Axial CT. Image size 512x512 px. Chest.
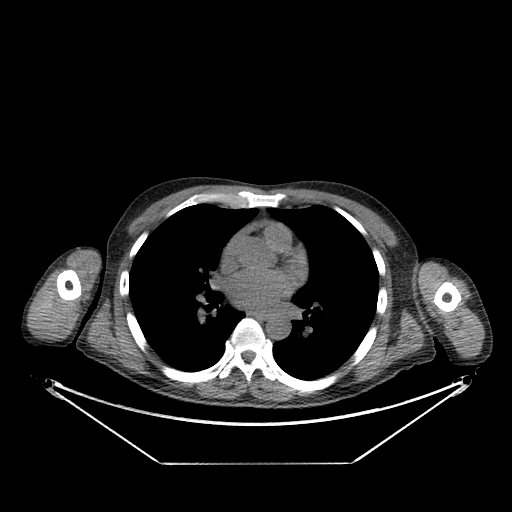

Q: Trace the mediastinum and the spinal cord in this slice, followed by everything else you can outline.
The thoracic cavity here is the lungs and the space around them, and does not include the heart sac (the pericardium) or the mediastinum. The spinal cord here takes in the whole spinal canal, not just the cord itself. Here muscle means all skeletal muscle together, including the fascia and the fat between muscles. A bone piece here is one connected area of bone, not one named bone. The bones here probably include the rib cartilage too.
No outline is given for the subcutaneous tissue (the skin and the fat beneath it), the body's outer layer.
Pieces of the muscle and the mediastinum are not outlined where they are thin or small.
A: The mediastinum appears in 2 outlined pieces: piece 1: 217,267 215,278 219,287 225,295 240,308 255,311 271,310 287,305 291,298 296,307 291,314 291,330 289,334 285,338 273,343 266,336 263,328 254,318 245,316 243,311 225,303 224,294 214,286 214,272; piece 2: 258,207 269,207 267,209 267,210 269,214 273,218 275,219 273,218 270,218 266,216 263,216 257,219 255,219 253,221 248,223 258,213 258,209 257,208. The spinal cord is outlined by 248,350 249,350 250,351 252,351 255,354 255,355 254,356 254,357 253,358 253,359 251,361 250,361 249,362 247,362 246,361 245,361 243,359 243,358 242,357 242,353 243,352 244,352 245,351 247,351. The pericardium is outlined by 263,217 277,220 285,224 303,243 308,259 308,277 305,283 291,296 287,304 281,307 274,307 271,309 264,310 246,309 234,303 226,295 218,283 216,278 216,272 218,270 222,251 232,236 248,224. The muscle appears in 3 outlined pieces: piece 1: 198,185 237,185 238,186 247,186 248,187 257,188 265,191 272,189 279,189 280,188 312,189 313,190 324,191 343,196 353,200 375,212 394,231 398,238 398,243 391,247 387,246 385,252 391,273 392,295 393,296 393,301 392,302 393,316 392,317 397,321 400,317 401,311 404,308 406,308 418,321 419,325 424,331 425,333 425,345 414,353 409,354 406,357 398,359 395,362 384,368 379,374 375,375 370,379 355,384 351,384 345,387 334,387 333,389 326,390 320,394 314,394 309,396 297,396 285,401 260,400 252,396 249,393 244,393 238,397 232,399 203,397 194,391 172,387 157,378 153,378 141,373 137,373 133,370 121,365 118,361 110,355 105,354 92,348 86,340 88,329 91,322 105,299 109,298 111,302 113,300 114,284 117,274 117,270 124,253 133,240 132,236 129,234 127,229 129,224 154,202 177,191, around a hole outlined by 241,190 285,193 287,197 279,205 287,208 337,206 362,225 367,232 363,237 366,243 371,250 376,248 383,259 385,274 378,276 378,287 385,287 387,304 383,314 375,313 371,321 370,325 377,327 375,338 355,365 349,367 348,358 332,372 340,376 326,388 294,390 266,378 260,369 253,371 248,383 235,366 224,378 216,376 196,383 174,380 162,373 161,365 167,364 154,349 150,345 146,352 142,351 130,331 126,313 133,313 133,306 129,295 120,294 119,281 121,272 132,267 134,258 129,253 136,239 144,231 150,234 166,219 168,211 194,194; piece 2: 79,249 93,250 98,254 100,259 99,271 90,291 90,297 85,302 84,308 79,314 75,327 66,338 59,341 42,340 36,338 30,333 26,325 27,314 30,304 48,276 56,268 63,265 66,258 72,252 with a hole at 65,269 72,269 76,272 79,278 79,281 80,282 80,285 81,286 81,293 80,295 78,297 74,299 72,299 71,300 65,300 61,297 60,297 58,293 58,291 57,290 57,276 60,272 61,272; piece 3: 428,261 437,262 445,266 452,275 464,280 468,285 483,319 482,324 485,331 485,337 479,354 470,358 460,357 446,336 436,327 433,320 428,315 426,307 420,296 418,284 418,268 423,263; inner edge: 445,281 450,281 457,288 461,296 461,299 459,301 457,306 453,310 451,311 449,311 448,312 446,312 445,311 443,311 441,310 434,303 433,301 433,299 434,298 434,294 437,288 443,282. The bones appear in 11 outlined pieces: piece 1: 244,317 260,325 272,342 274,360 291,376 302,380 333,373 340,376 330,386 312,392 270,380 260,369 253,371 248,383 235,366 224,378 216,376 196,383 165,376 160,369 163,364 193,372 216,363 226,340, around a hole outlined by 248,350 249,350 250,351 252,351 255,354 255,355 254,356 254,357 253,358 253,359 251,361 250,361 249,362 247,362 246,361 245,361 243,359 243,358 242,357 242,353 243,352 244,352 245,351 247,351; piece 2: 241,190 250,191 256,194 268,195 276,193 285,193 287,197 282,200 279,206 277,207 258,206 248,208 246,207 232,208 219,202 201,202 184,207 167,218 165,218 165,215 168,211 194,194 203,192 236,193; piece 3: 65,269 72,269 76,272 79,278 79,281 80,282 80,285 81,286 81,293 80,295 78,297 74,299 72,299 71,300 65,300 61,297 60,297 58,293 58,291 57,290 57,276 60,272 61,272; piece 4: 445,281 450,281 457,288 461,296 461,299 459,301 457,306 453,310 451,311 449,311 448,312 446,312 445,311 443,311 441,310 434,303 433,301 433,299 434,298 434,294 437,288 443,282; piece 5: 372,325 376,326 377,327 377,330 376,331 375,338 370,348 365,354 365,355 355,365 351,367 349,367 350,366 350,363 351,362 349,358 356,350 356,349 360,344 361,341 365,336 366,333 368,331 369,328; piece 6: 128,311 130,311 134,314 136,318 136,320 141,329 141,331 147,343 149,345 149,346 146,349 146,352 144,352 141,350 141,349 136,343 130,331 130,329 127,323 127,319 126,318 126,313; piece 7: 333,206 337,206 343,209 345,211 349,213 352,216 353,216 362,225 364,229 367,232 367,235 366,236 364,236 362,235 362,234 345,217 344,217 340,213 336,211 333,208; piece 8: 382,286 384,286 386,290 386,293 387,294 387,304 386,305 386,307 385,308 385,310 383,314 381,315 380,314 378,314 376,313 376,307 377,306 377,298 378,297 378,292 379,291 379,288; piece 9: 124,269 127,269 129,271 129,280 128,281 128,289 129,290 129,291 128,292 128,295 127,295 126,296 122,296 120,294 120,291 119,290 119,281 120,280 120,276 121,275 121,272; piece 10: 144,231 147,231 148,232 148,235 147,236 146,239 143,242 143,243 137,251 136,254 132,258 130,258 129,257 129,253 130,252 131,247 133,245 133,244 136,240 136,239 140,235 140,234; piece 11: 374,247 376,248 379,251 383,259 383,262 385,266 385,274 383,276 381,276 379,275 379,272 377,268 377,265 376,264 376,262 374,259 374,257 372,253 372,248. The torso is outlined by 185,176 215,176 256,184 329,180 373,195 396,216 416,244 419,257 414,273 414,299 434,339 434,359 400,371 351,398 313,407 267,409 205,405 170,398 84,356 74,342 99,298 106,243 112,229 142,191. The right arm is outlined by 80,245 90,245 96,247 100,251 103,260 103,269 101,272 101,278 94,298 83,317 82,320 83,324 76,338 74,341 63,348 38,347 29,344 25,341 21,334 20,322 23,307 34,285 55,258 66,250. The thoracic cavity appears in 2 outlined pieces: piece 1: 201,203 219,203 232,209 256,208 257,213 224,245 213,272 213,286 223,294 224,303 243,312 244,316 225,340 223,353 216,362 199,370 186,371 168,365 148,343 133,310 129,281 134,257 149,234 176,212; piece 2: 310,205 333,209 363,236 378,272 378,291 370,326 351,355 329,374 315,379 302,379 291,375 277,363 273,344 285,339 292,330 292,314 297,307 292,297 308,281 309,259 304,243 285,223 273,217 268,209. The left arm is outlined by 428,256 440,256 447,258 456,263 471,277 476,285 487,312 493,334 493,348 490,356 480,366 479,365 453,366 449,361 443,347 437,340 435,340 425,324 415,299 415,273 418,265 419,258 422,259.